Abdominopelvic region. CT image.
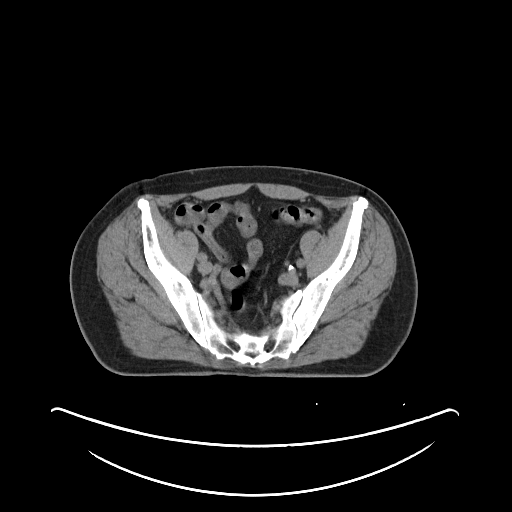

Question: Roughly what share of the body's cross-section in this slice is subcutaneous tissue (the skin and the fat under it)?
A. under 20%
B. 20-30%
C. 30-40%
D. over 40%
Answer: B. 20-30%
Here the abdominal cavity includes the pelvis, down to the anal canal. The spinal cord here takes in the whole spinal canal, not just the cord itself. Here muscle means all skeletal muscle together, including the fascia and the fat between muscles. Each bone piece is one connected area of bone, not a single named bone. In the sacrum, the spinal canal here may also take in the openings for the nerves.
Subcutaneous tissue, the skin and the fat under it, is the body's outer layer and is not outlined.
The abdominal cavity is outlined by [[251,187],[272,198],[313,198],[327,207],[330,224],[327,231],[310,229],[300,237],[299,249],[309,280],[280,301],[280,317],[259,333],[226,321],[194,287],[189,278],[198,240],[187,229],[174,231],[169,221],[172,206],[185,197],[208,200],[241,194]]. The muscle appears in 3 outlined pieces: piece 1: [[248,182],[358,195],[340,247],[308,279],[300,239],[310,230],[328,231],[327,206],[313,197],[268,196],[255,186],[208,199],[189,195],[171,206],[168,219],[174,232],[187,230],[197,240],[188,277],[166,257],[150,202],[140,196],[146,265],[186,331],[217,360],[252,367],[275,357],[287,360],[352,267],[369,202],[390,228],[396,272],[362,348],[343,358],[272,369],[223,369],[132,354],[97,279],[99,236],[139,195]]; piece 2: [[216,313],[219,314],[221,316],[221,317],[226,322],[227,322],[228,323],[229,322],[230,322],[236,327],[237,327],[239,330],[237,330],[236,331],[228,331],[227,330],[224,329],[221,326],[220,326],[217,322],[217,321],[215,318],[215,315],[216,314]]; piece 3: [[278,317],[279,318],[280,318],[280,321],[274,327],[273,327],[272,328],[271,328],[270,329],[269,329],[268,330],[267,330],[266,331],[261,331],[264,328],[265,328],[268,325],[269,325],[270,324],[271,324],[274,321],[274,320],[276,318],[277,318]]. The spinal cord appears in 3 outlined pieces: piece 1: [[246,353],[247,353],[248,353],[249,353],[250,353],[251,353],[252,353],[253,354],[254,354],[255,354],[256,354],[257,354],[257,355],[256,355],[255,356],[254,356],[253,357],[252,356],[251,356],[250,356],[249,355],[248,355],[247,355],[246,354]]; piece 2: [[269,344],[270,345],[271,346],[271,347],[270,348],[269,349],[268,350],[267,350],[266,350],[265,349],[265,348],[265,347],[266,347],[267,346],[268,345]]; piece 3: [[231,345],[232,345],[233,345],[234,345],[235,345],[236,346],[237,347],[236,348],[236,349],[235,349],[234,348],[233,347],[232,346]]. The torso is outlined by [[226,164],[284,165],[324,171],[371,188],[390,205],[400,220],[412,248],[418,279],[418,297],[410,333],[385,368],[365,377],[248,377],[223,374],[126,376],[107,370],[96,360],[79,329],[69,288],[71,256],[83,228],[119,189],[132,181],[179,169]]. The bones are outlined by [[358,196],[365,197],[368,206],[362,215],[355,259],[309,336],[287,359],[275,356],[253,366],[229,357],[217,359],[187,331],[144,256],[137,200],[147,199],[165,257],[212,308],[218,325],[228,332],[259,334],[281,321],[284,298],[302,289],[334,260]].